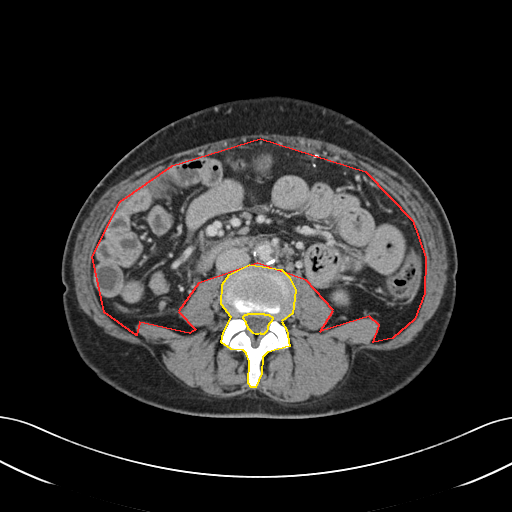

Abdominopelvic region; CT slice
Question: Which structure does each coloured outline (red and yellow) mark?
Answer: red: abdominal cavity; yellow: bones.
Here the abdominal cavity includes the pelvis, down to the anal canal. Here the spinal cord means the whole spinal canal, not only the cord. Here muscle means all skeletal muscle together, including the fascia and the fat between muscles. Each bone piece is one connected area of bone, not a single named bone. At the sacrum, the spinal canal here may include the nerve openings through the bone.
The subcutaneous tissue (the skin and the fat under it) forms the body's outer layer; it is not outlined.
{"abdominal_cavity":[[[260,138],[365,171],[412,220],[425,257],[424,293],[414,319],[392,338],[373,342],[379,325],[369,316],[320,331],[333,310],[306,280],[257,263],[198,283],[178,311],[195,329],[189,333],[139,322],[136,335],[104,312],[92,256],[120,201],[172,165]]],"bones":[{"outer":[[249,264],[281,269],[289,277],[295,290],[292,313],[281,321],[286,329],[289,346],[267,352],[262,357],[261,373],[255,387],[251,387],[248,383],[249,361],[246,353],[243,350],[231,349],[221,342],[223,332],[231,317],[221,304],[222,284],[229,274]],"hole":[[248,313],[263,313],[264,314],[268,314],[272,317],[272,319],[267,326],[267,329],[266,331],[263,334],[261,334],[260,333],[258,334],[255,334],[253,333],[249,329],[248,329],[248,327],[246,324],[246,322],[243,318],[243,316],[245,314],[247,314]]}],"spinal_cord":[[[248,313],[263,313],[264,314],[268,314],[272,317],[272,319],[267,326],[267,329],[266,331],[263,334],[261,334],[260,333],[258,334],[255,334],[253,333],[249,329],[248,329],[248,327],[246,324],[246,322],[243,318],[243,316],[245,314],[247,314]]],"torso":[[[272,94],[312,100],[355,119],[401,154],[429,184],[449,220],[458,258],[455,303],[444,339],[432,361],[409,385],[382,401],[340,414],[293,419],[202,417],[141,403],[99,379],[72,343],[62,306],[60,274],[70,227],[104,174],[156,130],[219,102]]],"muscle":[{"outer":[[259,133],[263,134],[268,133],[269,134],[283,134],[284,135],[300,135],[310,138],[320,139],[345,148],[352,152],[363,155],[397,172],[420,193],[421,196],[433,209],[441,225],[446,245],[446,254],[448,260],[448,266],[446,270],[447,279],[443,295],[436,311],[430,319],[425,323],[422,329],[413,340],[403,346],[391,350],[372,350],[371,349],[362,349],[360,350],[355,355],[350,366],[349,374],[347,376],[345,382],[340,388],[331,393],[327,397],[323,397],[319,399],[316,399],[309,402],[305,402],[300,404],[287,404],[286,405],[283,403],[279,403],[276,401],[270,401],[259,397],[248,397],[247,396],[239,396],[238,395],[228,398],[216,398],[211,395],[200,393],[195,390],[188,388],[172,377],[159,364],[157,359],[146,348],[137,344],[129,343],[107,334],[100,326],[80,308],[75,292],[75,285],[74,284],[73,270],[72,269],[72,255],[73,254],[76,237],[84,220],[88,216],[91,209],[108,188],[126,178],[134,171],[145,167],[174,153],[187,150],[209,142],[213,142],[236,136],[258,134]],"hole":[[260,138],[369,174],[412,220],[425,274],[416,316],[383,342],[369,316],[320,331],[333,310],[290,274],[289,346],[262,357],[251,387],[246,353],[221,342],[231,317],[220,274],[178,311],[194,331],[139,322],[136,335],[104,312],[91,265],[126,195]]}]}